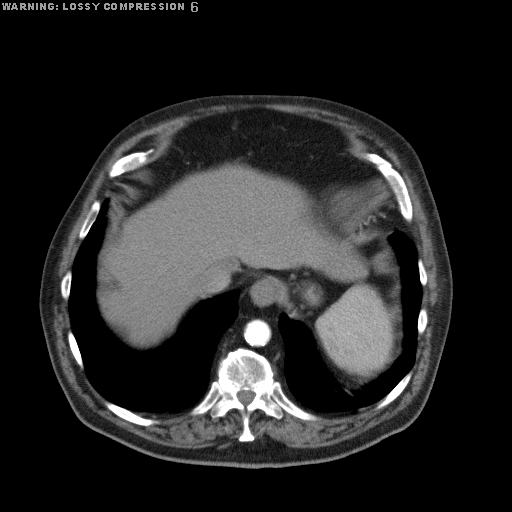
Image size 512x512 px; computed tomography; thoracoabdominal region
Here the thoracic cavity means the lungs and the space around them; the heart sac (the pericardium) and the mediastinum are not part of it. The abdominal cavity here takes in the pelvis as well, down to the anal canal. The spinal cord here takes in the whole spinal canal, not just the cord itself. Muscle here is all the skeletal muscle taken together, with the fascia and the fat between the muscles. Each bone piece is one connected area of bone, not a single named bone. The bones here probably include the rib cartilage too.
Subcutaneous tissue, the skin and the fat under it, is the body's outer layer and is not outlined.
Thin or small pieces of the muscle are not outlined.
The mediastinum is outlined by [[247,295],[258,304],[264,306],[273,305],[279,311],[277,326],[284,346],[284,358],[282,368],[273,367],[271,362],[266,356],[255,350],[243,346],[238,346],[229,350],[224,356],[217,361],[214,361],[217,346],[222,335],[233,323],[238,314],[239,297]]. The spinal cord is outlined by [[241,390],[249,390],[250,391],[252,391],[254,393],[254,396],[253,397],[253,398],[252,399],[252,400],[249,403],[248,403],[246,405],[245,405],[244,404],[243,404],[238,399],[238,397],[237,396],[237,393],[239,391],[240,391]]. The abdominal cavity is outlined by [[256,108],[343,130],[385,179],[408,227],[410,235],[395,229],[388,236],[400,268],[402,351],[352,396],[336,390],[303,324],[273,304],[240,295],[239,289],[197,303],[173,336],[148,350],[125,345],[100,316],[96,258],[114,178],[147,164],[190,122]]. The muscle is outlined by [[238,103],[300,104],[351,118],[393,149],[426,213],[439,290],[432,310],[430,362],[425,379],[411,402],[395,415],[334,444],[297,448],[270,438],[264,443],[254,441],[251,414],[261,410],[280,420],[284,411],[303,421],[316,421],[319,417],[314,413],[354,413],[376,403],[374,409],[380,410],[391,403],[412,377],[418,336],[428,323],[427,309],[421,306],[422,287],[427,284],[428,275],[410,236],[407,223],[413,219],[413,206],[400,172],[376,152],[358,153],[343,129],[321,119],[258,107],[216,113],[178,129],[150,160],[155,150],[152,147],[122,155],[107,172],[107,177],[113,179],[105,197],[102,201],[96,198],[89,207],[78,232],[82,241],[71,270],[60,280],[60,295],[68,304],[69,349],[111,412],[130,423],[148,427],[159,423],[151,415],[190,409],[189,414],[197,416],[210,410],[210,416],[215,419],[234,409],[240,413],[242,425],[237,440],[232,439],[222,448],[216,445],[181,448],[148,440],[93,411],[69,384],[60,365],[53,328],[59,262],[100,169],[116,147],[144,129],[196,108]]. The bones appear in 10 outlined pieces: piece 1: [[238,347],[266,357],[284,393],[318,418],[303,420],[284,410],[282,417],[277,419],[256,409],[249,417],[254,439],[241,442],[238,438],[243,429],[242,416],[237,409],[215,418],[210,409],[191,415],[190,410],[205,396],[210,383],[217,377],[217,362]], around a hole outlined by [[241,390],[249,390],[250,391],[252,391],[254,393],[254,396],[253,397],[253,398],[252,399],[252,400],[249,403],[248,403],[246,405],[245,405],[244,404],[243,404],[238,399],[238,397],[237,396],[237,393],[239,391],[240,391]]; piece 2: [[365,152],[370,152],[371,153],[378,154],[389,161],[392,166],[399,172],[405,183],[411,201],[411,205],[412,206],[412,219],[410,222],[407,222],[405,220],[401,207],[397,203],[392,188],[386,179],[376,168],[375,165],[364,158],[362,155]]; piece 3: [[150,148],[152,148],[154,150],[149,156],[149,161],[147,163],[135,169],[133,169],[129,171],[126,171],[115,177],[113,177],[112,178],[109,178],[108,177],[108,172],[111,166],[116,160],[122,156],[126,155],[129,153],[135,152],[136,151],[144,151]]; piece 4: [[107,400],[118,406],[120,406],[125,409],[127,409],[132,412],[134,412],[142,417],[146,417],[154,420],[157,420],[158,421],[158,423],[155,423],[148,426],[142,426],[141,425],[138,425],[132,422],[130,422],[118,416],[111,411],[104,403],[105,401]]; piece 5: [[410,370],[412,372],[411,377],[408,383],[406,385],[404,389],[400,393],[400,394],[396,398],[395,398],[391,402],[390,402],[384,407],[380,409],[375,409],[375,407],[377,403],[379,401],[380,401],[402,379],[402,378]]; piece 6: [[96,199],[98,199],[101,202],[99,211],[95,218],[95,220],[91,225],[85,237],[83,239],[80,239],[79,238],[79,232],[80,231],[80,229],[90,209],[90,207],[92,203]]; piece 7: [[69,330],[71,330],[75,338],[76,343],[78,346],[78,348],[79,349],[79,351],[81,355],[82,362],[83,363],[83,368],[82,369],[78,365],[70,349],[70,347],[68,343],[68,338],[67,337],[67,333]]; piece 8: [[69,270],[71,271],[71,283],[70,284],[70,290],[69,291],[69,296],[68,297],[68,299],[67,300],[65,300],[63,299],[61,295],[61,291],[60,290],[60,285],[61,284],[61,280],[62,278],[64,276],[66,272]]; piece 9: [[421,307],[423,307],[426,309],[426,311],[427,312],[427,323],[426,324],[426,326],[425,327],[425,328],[424,329],[423,332],[420,335],[418,335],[418,332],[417,331],[417,323],[418,322],[418,316],[419,315],[419,312],[420,311],[420,309],[421,308]]; piece 10: [[419,258],[420,258],[422,260],[422,262],[423,263],[423,265],[425,268],[425,270],[426,271],[426,274],[427,275],[427,281],[426,282],[426,284],[424,286],[422,286],[422,285],[420,282],[420,278],[419,277],[419,267],[418,266],[418,259]]. The thoracic cavity appears in 2 outlined pieces: piece 1: [[105,198],[108,199],[106,224],[95,258],[94,298],[104,325],[125,346],[136,351],[158,348],[176,334],[197,304],[239,290],[237,314],[216,346],[213,359],[216,377],[191,408],[142,416],[106,399],[86,374],[71,329],[68,300],[74,260]]; piece 2: [[395,230],[411,238],[418,258],[421,301],[413,364],[373,404],[345,413],[307,410],[285,393],[275,377],[273,368],[282,369],[285,358],[278,326],[280,314],[309,332],[321,367],[338,393],[352,397],[363,390],[387,371],[403,351],[401,268],[389,240]]. The torso is outlined by [[252,93],[309,95],[342,102],[380,118],[409,141],[430,185],[450,259],[449,329],[432,389],[418,417],[370,447],[328,462],[279,468],[168,461],[90,429],[73,412],[53,371],[41,325],[38,303],[43,264],[52,236],[92,164],[124,126],[182,100]].